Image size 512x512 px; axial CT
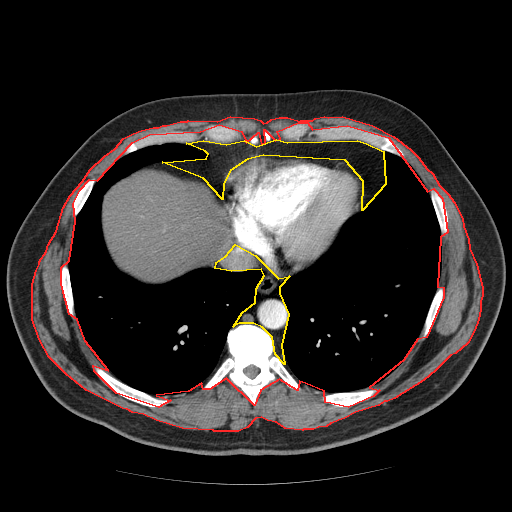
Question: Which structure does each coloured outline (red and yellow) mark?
Answer: red: muscle; yellow: mediastinum.
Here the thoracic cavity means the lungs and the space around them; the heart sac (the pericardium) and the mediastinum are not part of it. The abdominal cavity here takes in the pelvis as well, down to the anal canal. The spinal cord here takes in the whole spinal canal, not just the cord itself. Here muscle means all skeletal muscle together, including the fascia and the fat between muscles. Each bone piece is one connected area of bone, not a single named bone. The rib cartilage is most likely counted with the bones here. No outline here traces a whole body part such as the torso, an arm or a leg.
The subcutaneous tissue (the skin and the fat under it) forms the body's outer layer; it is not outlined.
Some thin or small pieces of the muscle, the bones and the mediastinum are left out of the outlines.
The muscle is outlined by (230, 116) (254, 118) (260, 120) (263, 123) (267, 122) (271, 119) (279, 117) (287, 117) (300, 121) (301, 120) (312, 120) (315, 118) (324, 116) (328, 117) (342, 116) (372, 125) (393, 136) (410, 149) (418, 157) (426, 168) (432, 173) (439, 185) (448, 194) (453, 201) (462, 218) (463, 226) (468, 239) (469, 248) (476, 264) (482, 287) (482, 295) (480, 301) (480, 309) (478, 319) (474, 330) (467, 343) (455, 353) (450, 355) (435, 370) (423, 380) (394, 398) (387, 401) (384, 401) (378, 405) (355, 412) (344, 418) (330, 423) (326, 426) (318, 427) (313, 429) (303, 429) (302, 430) (285, 428) (276, 422) (267, 420) (261, 417) (255, 418) (247, 427) (238, 431) (214, 431) (213, 430) (182, 428) (156, 420) (143, 414) (132, 412) (127, 409) (122, 408) (86, 390) (66, 374) (49, 357) (39, 339) (32, 319) (32, 284) (36, 270) (39, 264) (39, 261) (46, 251) (48, 244) (56, 231) (63, 207) (70, 195) (82, 181) (90, 169) (104, 156) (115, 148) (123, 138) (133, 133) (141, 130) (153, 127) (158, 127) (162, 125) (166, 125) (180, 121) (187, 121) (188, 120) (217, 121); inner edge: (298, 122) (307, 122) (312, 129) (347, 125) (388, 137) (427, 191) (433, 188) (442, 198) (447, 232) (440, 237) (437, 286) (443, 287) (443, 297) (426, 337) (417, 339) (403, 360) (369, 387) (379, 390) (373, 396) (348, 407) (325, 402) (324, 391) (305, 383) (299, 381) (297, 390) (279, 379) (260, 390) (254, 405) (226, 378) (209, 389) (203, 389) (201, 383) (188, 391) (156, 395) (170, 400) (158, 407) (116, 393) (94, 371) (93, 365) (108, 370) (85, 341) (77, 319) (69, 314) (61, 284) (61, 267) (69, 260) (75, 221) (73, 203) (80, 189) (89, 179) (97, 180) (132, 142) (149, 134) (200, 131) (219, 124) (241, 131) (246, 142) (258, 132) (261, 144) (265, 142) (264, 129) (275, 140) (280, 138) (277, 131). The mediastinum appears in 2 outlined pieces: piece 1: (276, 139) (287, 142) (357, 140) (366, 143) (383, 151) (385, 184) (362, 210) (363, 181) (345, 160) (263, 155) (247, 159) (230, 170) (223, 183) (222, 199) (203, 178) (162, 162) (206, 158) (208, 154) (205, 151) (186, 143) (203, 140) (226, 144) (244, 140) (256, 146); piece 2: (235, 244) (255, 255) (278, 278) (289, 276) (279, 287) (279, 293) (288, 314) (281, 345) (284, 364) (275, 354) (272, 337) (262, 327) (253, 323) (239, 323) (233, 326) (242, 312) (255, 302) (256, 288) (264, 275) (261, 269) (231, 271) (215, 268) (216, 262) (225, 256). The abdominal cavity is outlined by (161, 162) (162, 165) (203, 179) (215, 190) (223, 200) (223, 203) (227, 208) (235, 238) (235, 243) (225, 255) (215, 262) (214, 267) (196, 268) (165, 283) (150, 284) (139, 281) (120, 271) (112, 261) (104, 241) (101, 224) (101, 208) (104, 194) (116, 182) (144, 166). The spinal cord is outlined by (249, 365) (253, 365) (254, 366) (255, 366) (256, 367) (257, 367) (259, 369) (259, 372) (253, 378) (250, 378) (248, 376) (247, 376) (244, 373) (244, 369) (246, 367) (247, 367). The bones appear in 9 outlined pieces: piece 1: (239, 324) (257, 325) (271, 337) (274, 344) (274, 354) (281, 360) (299, 383) (301, 387) (300, 390) (290, 388) (278, 379) (276, 382) (268, 383) (260, 390) (255, 404) (253, 405) (244, 392) (226, 378) (218, 386) (203, 389) (205, 382) (228, 355) (226, 341) (229, 330); inner edge: (249, 365) (253, 365) (254, 366) (255, 366) (256, 367) (257, 367) (259, 369) (259, 372) (253, 378) (250, 378) (248, 376) (247, 376) (244, 373) (244, 369) (246, 367) (247, 367); piece 2: (298, 122) (307, 122) (312, 129) (323, 126) (347, 125) (379, 133) (388, 137) (402, 151) (405, 158) (400, 157) (398, 155) (388, 151) (382, 150) (373, 145) (357, 139) (315, 141) (308, 139) (306, 137) (303, 137) (299, 141) (283, 140) (275, 133) (286, 126) (289, 126); piece 3: (209, 124) (219, 124) (232, 127) (241, 131) (242, 139) (240, 140) (226, 143) (219, 143) (208, 141) (201, 137) (198, 140) (193, 142) (185, 143) (165, 142) (161, 144) (152, 144) (142, 147) (127, 154) (124, 154) (125, 149) (132, 142) (143, 136) (174, 130) (200, 131); piece 4: (93, 365) (97, 365) (103, 368) (114, 377) (134, 389) (139, 390) (142, 392) (150, 394) (159, 398) (167, 398) (170, 400) (170, 402) (167, 404) (165, 404) (158, 407) (149, 407) (148, 406) (140, 404) (137, 402) (132, 401) (116, 393) (108, 387) (98, 377) (93, 369); piece 5: (374, 387) (375, 388) (377, 388) (379, 390) (373, 396) (348, 407) (345, 407) (344, 406) (343, 407) (341, 407) (340, 406) (336, 406) (335, 405) (327, 403) (322, 399) (322, 395) (324, 393) (339, 393) (340, 392) (350, 392) (351, 391) (361, 390) (365, 388) (373, 388); piece 6: (439, 286) (443, 287) (443, 297) (442, 298) (441, 305) (439, 308) (439, 311) (437, 314) (435, 321) (426, 337) (423, 340) (418, 340) (420, 333) (423, 328) (423, 326) (424, 325) (424, 323) (425, 322) (431, 302) (434, 297) (434, 295) (437, 290) (437, 288); piece 7: (431, 188) (435, 189) (440, 195) (443, 200) (443, 202) (445, 205) (445, 207) (447, 211) (447, 232) (445, 236) (441, 236) (440, 227) (439, 226) (438, 220) (436, 216) (436, 213) (435, 212) (435, 210) (434, 209) (434, 207) (433, 206) (433, 204) (430, 197) (430, 189); piece 8: (64, 262) (67, 264) (68, 271) (69, 272) (69, 279) (70, 280) (71, 291) (73, 297) (73, 307) (74, 308) (74, 312) (76, 318) (75, 319) (73, 319) (69, 314) (65, 304) (64, 296) (63, 295) (63, 290) (61, 284) (61, 267); piece 9: (91, 178) (95, 178) (96, 179) (96, 181) (94, 183) (91, 189) (91, 191) (88, 197) (86, 199) (83, 206) (81, 208) (77, 215) (75, 217) (74, 217) (72, 215) (72, 210) (73, 209) (73, 203) (74, 202) (74, 200) (80, 189) (82, 188) (85, 184) (85, 183). The pericardium is outlined by (263, 156) (271, 158) (294, 156) (343, 160) (358, 174) (363, 184) (361, 210) (343, 224) (329, 248) (308, 267) (297, 273) (283, 277) (278, 277) (271, 272) (255, 254) (236, 243) (228, 208) (224, 203) (226, 200) (223, 197) (224, 183) (231, 170) (247, 160). The thoracic cavity appears in 2 outlined pieces: piece 1: (384, 151) (404, 159) (429, 193) (441, 239) (438, 284) (417, 339) (403, 360) (389, 374) (369, 387) (325, 392) (299, 381) (285, 365) (282, 345) (289, 314) (280, 293) (280, 287) (286, 278) (294, 276) (316, 262) (330, 248) (344, 224) (363, 211) (380, 193) (388, 175); piece 2: (165, 143) (182, 143) (207, 156) (144, 165) (103, 194) (101, 231) (115, 267) (150, 285) (201, 268) (261, 270) (263, 275) (254, 302) (228, 330) (227, 355) (210, 376) (188, 391) (153, 395) (114, 376) (85, 341) (76, 317) (68, 261) (75, 218) (97, 180) (124, 155).